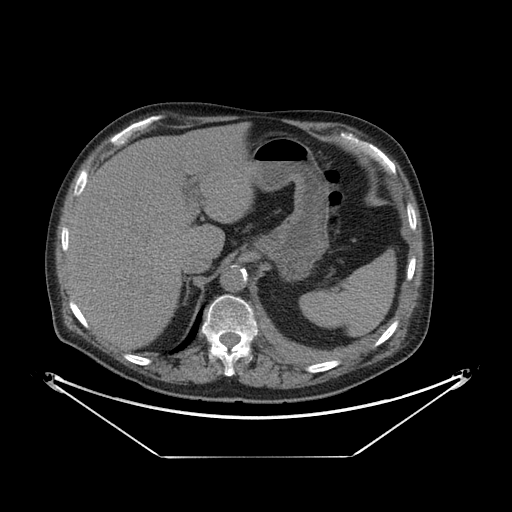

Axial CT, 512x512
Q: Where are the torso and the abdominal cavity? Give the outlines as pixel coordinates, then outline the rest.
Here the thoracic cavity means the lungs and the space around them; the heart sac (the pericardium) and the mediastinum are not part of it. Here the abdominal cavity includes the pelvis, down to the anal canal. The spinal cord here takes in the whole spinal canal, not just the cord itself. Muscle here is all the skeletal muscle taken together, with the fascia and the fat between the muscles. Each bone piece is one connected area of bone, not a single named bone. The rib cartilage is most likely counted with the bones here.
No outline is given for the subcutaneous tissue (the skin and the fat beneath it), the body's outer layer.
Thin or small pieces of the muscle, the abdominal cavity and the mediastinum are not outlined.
A: The torso is outlined by 164 101; 211 102; 259 111; 340 111; 378 125; 401 144; 420 183; 434 244; 430 322; 413 354; 382 374; 331 396; 297 402; 245 403; 181 398; 153 391; 59 340; 53 329; 44 274; 46 231; 56 192; 75 157; 99 130; 132 109. The abdominal cavity is outlined by 251 118; 278 120; 337 142; 367 155; 388 175; 408 244; 394 315; 363 339; 327 348; 298 343; 259 302; 258 263; 238 261; 204 287; 195 321; 173 353; 136 354; 108 343; 74 301; 68 273; 69 228; 90 174; 116 148; 159 127. The spinal cord is outlined by 228 332; 231 332; 232 333; 234 333; 239 336; 239 340; 238 341; 238 342; 237 342; 230 348; 229 348; 227 346; 226 346; 222 342; 221 342; 221 341; 220 340; 220 337; 221 336; 221 335; 222 335; 225 333; 227 333. The mediastinum is outlined by 238 262; 257 263; 257 267; 253 275; 254 288; 251 291; 250 300; 259 320; 259 324; 258 325; 258 322; 255 317; 253 307; 246 300; 230 293; 222 293; 213 299; 204 309; 202 321; 203 312; 201 308; 205 287; 221 274; 229 265. The bones appear in 11 outlined pieces: piece 1: 222 294; 230 294; 246 301; 253 309; 258 328; 258 334; 251 342; 252 359; 248 362; 245 357; 240 357; 236 360; 233 364; 234 374; 231 376; 224 374; 224 365; 219 358; 209 359; 208 351; 210 344; 203 335; 198 334; 205 309; inner edge: 228 332; 231 332; 232 333; 234 333; 239 336; 239 340; 238 341; 238 342; 237 342; 230 348; 229 348; 227 346; 226 346; 222 342; 221 342; 221 341; 220 340; 220 337; 221 336; 221 335; 222 335; 225 333; 227 333; piece 2: 342 130; 347 132; 351 132; 358 138; 370 142; 378 147; 393 162; 395 165; 396 174; 394 175; 390 173; 387 173; 377 162; 367 154; 361 151; 356 151; 353 149; 350 149; 348 147; 346 147; 345 145; 335 141; 334 136; 338 135; piece 3: 152 115; 164 115; 164 118; 162 118; 161 119; 159 119; 156 121; 152 122; 142 130; 138 130; 134 132; 128 138; 127 141; 125 143; 117 146; 116 145; 112 144; 109 141; 109 139; 114 134; 120 131; 128 125; 134 122; 142 120; piece 4: 334 359; 337 359; 339 360; 340 361; 340 363; 338 365; 330 369; 328 369; 325 371; 316 372; 314 373; 313 372; 309 372; 305 370; 305 367; 308 365; 310 365; 314 363; 319 363; 320 362; 323 362; 328 360; 333 360; piece 5: 84 168; 88 170; 88 177; 87 178; 87 181; 80 195; 78 196; 75 196; 73 194; 74 192; 74 187; 75 186; 75 183; 80 173; 80 171; piece 6: 395 320; 397 320; 398 321; 398 325; 397 326; 397 327; 395 329; 394 332; 385 341; 384 341; 381 344; 380 344; 379 345; 374 347; 374 343; 376 341; 376 340; 380 336; 380 335; 389 326; 389 325; 393 321; 394 321; piece 7: 124 353; 129 353; 130 354; 135 354; 136 355; 139 355; 143 357; 147 357; 151 359; 151 362; 149 364; 147 364; 146 365; 139 365; 133 362; 131 362; 127 360; 125 358; 124 358; 123 357; 123 354; piece 8: 409 202; 412 204; 412 205; 414 208; 414 210; 415 211; 415 214; 416 215; 416 226; 415 227; 415 229; 414 230; 412 230; 409 227; 409 225; 408 224; 408 220; 407 219; 407 213; 406 212; 406 205; 407 204; 407 203; 408 203; piece 9: 70 300; 72 300; 77 305; 77 306; 79 308; 80 311; 84 316; 84 317; 85 318; 87 323; 89 325; 89 328; 86 328; 85 327; 84 327; 74 315; 72 310; 70 308; 70 307; 69 306; 69 301; piece 10: 412 256; 414 256; 415 257; 415 269; 414 270; 414 273; 413 274; 413 276; 412 277; 412 278; 410 280; 407 280; 406 279; 406 270; 407 269; 407 265; 408 264; 408 261; 410 259; 410 258; piece 11: 63 226; 66 226; 68 228; 68 232; 69 233; 68 234; 68 247; 67 248; 67 250; 66 251; 64 251; 62 249; 62 245; 61 244; 61 231; 62 230; 62 227. The thoracic cavity appears in 2 outlined pieces: piece 1: 254 289; 256 291; 258 302; 270 320; 285 337; 298 344; 320 349; 335 348; 344 344; 366 339; 375 334; 383 325; 387 324; 387 327; 371 344; 365 346; 350 356; 316 362; 277 348; 262 332; 260 320; 251 300; 251 294; piece 2: 200 311; 202 312; 201 323; 199 325; 199 328; 195 338; 186 347; 181 350; 174 352; 178 346; 179 346; 180 344; 186 339; 188 336; 188 334; 190 333; 190 331; 192 329; 192 327; 196 321; 196 318; 198 315; 198 313. The muscle appears in 3 outlined pieces: piece 1: 381 149; 400 165; 415 196; 421 219; 423 267; 419 290; 420 296; 417 299; 418 304; 409 319; 407 333; 401 344; 403 346; 391 356; 313 385; 275 389; 241 383; 236 377; 232 376; 235 374; 234 364; 240 358; 245 358; 247 363; 253 359; 252 342; 259 334; 259 325; 261 332; 277 349; 314 361; 304 367; 305 371; 314 374; 325 372; 338 366; 341 363; 338 359; 350 357; 373 343; 374 348; 381 345; 398 327; 399 321; 397 319; 393 320; 388 326; 388 324; 396 313; 404 280; 410 281; 414 276; 416 257; 412 255; 408 260; 409 244; 402 232; 404 226; 402 211; 394 197; 388 174; 394 176; 397 174; 396 165; inner edge: 409 202; 412 204; 412 205; 414 208; 414 210; 415 211; 415 214; 416 215; 416 226; 415 227; 415 229; 414 230; 412 230; 409 227; 409 225; 408 224; 408 220; 407 219; 407 213; 406 212; 406 205; 407 204; 407 203; 408 203; piece 2: 111 134; 113 134; 108 141; 117 147; 102 159; 89 175; 89 170; 85 167; 79 171; 72 193; 78 198; 71 221; 69 227; 66 225; 61 227; 60 244; 61 249; 67 252; 67 273; 72 298; 68 301; 68 306; 84 328; 91 328; 108 344; 124 352; 122 354; 124 359; 139 366; 146 366; 152 362; 151 358; 140 354; 157 354; 159 356; 173 354; 186 348; 197 335; 203 336; 209 344; 207 351; 208 359; 212 361; 214 358; 217 358; 223 365; 224 375; 216 380; 206 383; 189 381; 186 384; 177 384; 146 376; 124 365; 80 335; 69 330; 63 322; 61 297; 55 266; 56 230; 61 208; 70 183; 81 163; 97 145; piece 3: 161 111; 170 111; 189 116; 263 115; 268 117; 285 118; 299 121; 338 122; 358 129; 366 134; 370 141; 362 139; 351 131; 347 131; 343 129; 338 134; 333 136; 333 140; 329 140; 321 136; 315 136; 313 133; 278 119; 269 119; 261 117; 211 121; 183 127; 159 126; 129 139; 134 133; 138 131; 142 131; 152 123; 165 118; 164 114; 152 114; 129 124; 132 120; 147 114; 158 113.